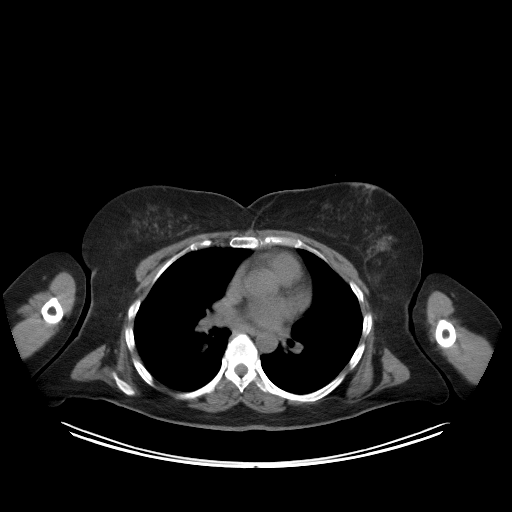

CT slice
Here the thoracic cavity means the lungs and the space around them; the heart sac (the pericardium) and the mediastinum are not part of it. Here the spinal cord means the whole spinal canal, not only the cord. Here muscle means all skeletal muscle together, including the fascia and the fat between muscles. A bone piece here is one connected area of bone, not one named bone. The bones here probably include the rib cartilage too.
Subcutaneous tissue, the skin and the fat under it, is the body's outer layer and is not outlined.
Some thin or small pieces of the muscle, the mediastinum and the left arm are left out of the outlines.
{"right_arm":[[[56,250],[64,250],[69,252],[81,266],[85,275],[85,282],[86,283],[85,300],[79,318],[63,347],[52,360],[37,374],[34,376],[31,376],[24,362],[20,358],[20,353],[13,339],[8,316],[6,312],[3,292],[12,281],[36,259],[46,253]]],"mediastinum":[[[220,300],[223,311],[231,320],[235,322],[239,322],[247,326],[270,333],[282,333],[290,331],[289,333],[285,334],[283,341],[273,351],[259,355],[254,342],[246,333],[239,332],[229,339],[231,331],[227,326],[224,325],[225,318],[222,314],[218,303]],[[274,245],[287,246],[292,248],[296,248],[298,249],[298,253],[301,257],[300,257],[298,253],[295,250],[288,249],[282,246],[273,246],[272,247],[266,247],[265,248],[260,248],[256,250],[254,252],[253,252],[247,258],[242,261],[250,253],[250,249],[257,249],[258,248],[264,248],[265,247],[267,246],[273,246]]],"spinal_cord":[[[239,364],[243,364],[246,367],[246,368],[247,369],[247,370],[246,371],[246,372],[243,375],[239,375],[235,371],[235,368]]],"pericardium":[[[273,247],[282,247],[288,250],[295,251],[301,258],[309,274],[312,285],[312,297],[309,307],[299,319],[297,319],[290,325],[291,328],[289,330],[282,332],[270,332],[239,321],[235,321],[231,319],[224,311],[221,302],[227,286],[238,266],[256,251]]],"muscle":[[[248,229],[297,232],[325,244],[351,262],[369,290],[368,300],[377,316],[374,347],[377,351],[386,347],[408,368],[410,377],[406,381],[352,403],[330,399],[263,413],[242,402],[223,411],[208,412],[180,401],[135,396],[132,386],[114,370],[111,376],[119,389],[93,380],[79,381],[69,377],[75,364],[92,350],[107,343],[111,354],[118,347],[127,309],[127,319],[133,320],[133,326],[124,328],[124,339],[128,350],[132,352],[135,348],[140,358],[134,356],[131,359],[136,372],[151,387],[155,386],[154,379],[178,391],[173,394],[177,400],[192,400],[209,394],[223,379],[233,383],[240,393],[254,382],[264,393],[302,403],[315,402],[331,393],[346,376],[342,370],[347,365],[352,370],[361,359],[366,345],[363,341],[359,343],[360,338],[369,334],[373,316],[369,311],[362,314],[360,305],[364,302],[364,294],[360,287],[352,280],[345,281],[318,249],[298,237],[235,235],[227,245],[214,245],[210,238],[193,241],[160,267],[144,299],[138,297],[130,304],[138,285],[135,268],[147,256],[196,234]],{"outer":[[437,289],[442,289],[446,291],[451,296],[463,322],[467,326],[486,338],[493,346],[493,352],[488,361],[486,369],[479,382],[476,385],[469,382],[447,360],[440,351],[437,351],[431,345],[428,339],[427,328],[425,323],[426,300],[429,294],[432,291]],"hole":[[442,318],[449,321],[453,325],[455,329],[455,333],[456,334],[456,339],[454,343],[451,346],[449,347],[447,347],[446,348],[444,347],[442,347],[436,341],[436,339],[435,338],[435,328],[436,327],[437,322],[439,319],[441,319]]},{"outer":[[61,271],[68,272],[73,277],[76,284],[75,301],[70,317],[64,326],[38,350],[30,356],[26,357],[24,359],[21,359],[20,353],[16,346],[11,332],[11,329],[18,318],[16,310],[20,306],[26,303],[33,294],[44,290],[48,286],[54,276]],"hole":[[53,296],[55,296],[57,298],[58,301],[60,303],[60,304],[63,309],[63,316],[62,317],[62,318],[57,323],[55,323],[54,324],[50,324],[49,323],[47,323],[44,320],[44,319],[41,314],[41,308],[44,304],[44,303]]}],"left_arm":[[[433,271],[440,271],[451,276],[476,294],[493,310],[501,323],[493,352],[486,369],[479,382],[465,400],[458,397],[450,383],[447,380],[446,382],[444,376],[419,346],[413,332],[414,325],[411,320],[411,313],[415,303],[415,295],[421,279],[422,281]]],"torso":[[[346,180],[385,188],[418,227],[423,262],[408,325],[443,376],[446,401],[398,402],[275,431],[181,425],[101,399],[71,397],[49,405],[36,375],[76,336],[87,313],[90,270],[80,246],[108,200],[135,186],[169,184],[217,192],[246,206],[270,192]]],"thoracic_cavity":[[[213,245],[249,249],[249,253],[237,266],[225,287],[223,296],[217,302],[224,318],[223,325],[229,329],[230,335],[216,374],[209,381],[196,389],[190,391],[179,391],[155,379],[141,361],[134,338],[134,319],[141,303],[152,286],[172,263],[188,252]],[[299,249],[306,250],[320,258],[348,284],[359,303],[362,315],[361,335],[347,364],[325,385],[307,393],[294,393],[275,384],[264,371],[260,358],[263,354],[273,352],[284,341],[286,334],[290,333],[292,325],[304,317],[312,303],[312,276],[299,253]]],"bones":[{"outer":[[239,333],[250,338],[263,371],[275,385],[285,391],[307,394],[325,386],[341,372],[345,376],[331,392],[311,402],[290,400],[264,392],[254,381],[240,392],[233,382],[225,378],[209,393],[192,399],[177,399],[175,393],[196,390],[217,374],[228,341]],"hole":[[239,364],[243,364],[246,367],[246,368],[247,369],[247,370],[246,371],[246,372],[243,375],[239,375],[235,371],[235,368]]},[[269,235],[286,236],[287,237],[298,238],[306,244],[318,250],[326,258],[327,262],[314,253],[306,249],[292,247],[287,245],[274,244],[273,245],[267,245],[264,247],[258,247],[257,248],[232,247],[228,245],[228,242],[232,237],[235,236],[264,237]],[[442,318],[449,321],[453,325],[455,329],[455,333],[456,334],[456,339],[454,343],[451,346],[449,347],[447,347],[446,348],[444,347],[442,347],[436,341],[436,339],[435,338],[435,328],[436,327],[437,322],[439,319],[441,319]],[[53,296],[55,296],[57,298],[58,301],[60,303],[60,304],[63,309],[63,316],[62,317],[62,318],[57,323],[55,323],[54,324],[50,324],[49,323],[47,323],[44,320],[44,319],[41,314],[41,308],[44,304],[44,303]],[[204,239],[210,239],[213,242],[213,244],[212,245],[207,247],[204,247],[203,248],[188,251],[183,255],[180,256],[173,262],[172,262],[161,273],[161,274],[152,285],[152,280],[157,272],[172,256],[188,246],[191,243],[196,241],[201,241]],[[134,357],[135,358],[138,359],[142,363],[142,364],[145,367],[145,368],[150,373],[150,374],[152,376],[152,377],[153,378],[153,381],[154,382],[154,386],[151,386],[150,385],[149,385],[140,376],[140,375],[137,372],[137,371],[132,362],[132,359]],[[113,371],[114,371],[116,373],[116,374],[121,379],[122,379],[124,381],[125,381],[129,385],[130,385],[131,386],[131,387],[134,390],[134,391],[135,392],[135,393],[133,395],[127,395],[125,393],[124,393],[118,387],[114,378],[112,376],[112,372]],[[362,342],[363,342],[364,343],[365,346],[364,347],[363,352],[361,355],[361,357],[358,361],[358,362],[356,364],[356,365],[352,369],[349,369],[349,367],[348,366],[348,362],[351,358],[353,353],[355,351],[355,350],[358,346],[358,345]],[[368,312],[369,312],[371,314],[371,315],[372,316],[372,325],[371,326],[371,328],[370,329],[370,330],[369,331],[369,332],[368,333],[368,334],[365,337],[364,337],[363,336],[362,336],[362,327],[363,326],[363,316],[364,315],[364,314],[365,314]],[[127,326],[131,326],[132,327],[132,328],[133,329],[133,338],[134,339],[134,343],[135,344],[135,347],[134,348],[134,349],[132,351],[130,351],[129,350],[129,349],[128,348],[128,347],[127,346],[127,344],[126,343],[126,340],[125,339],[125,328]],[[138,298],[139,298],[141,300],[141,302],[140,303],[140,305],[136,312],[136,314],[135,315],[134,318],[133,319],[131,319],[130,320],[129,320],[128,319],[128,316],[127,315],[127,313],[128,312],[128,309],[129,308],[130,305],[136,299],[137,299]],[[349,281],[352,281],[353,282],[354,282],[359,287],[359,288],[361,290],[361,291],[363,294],[363,302],[361,304],[360,304],[360,303],[359,302],[359,301],[358,300],[357,297],[355,295],[355,294],[351,289],[351,288],[348,283],[349,282]]]}